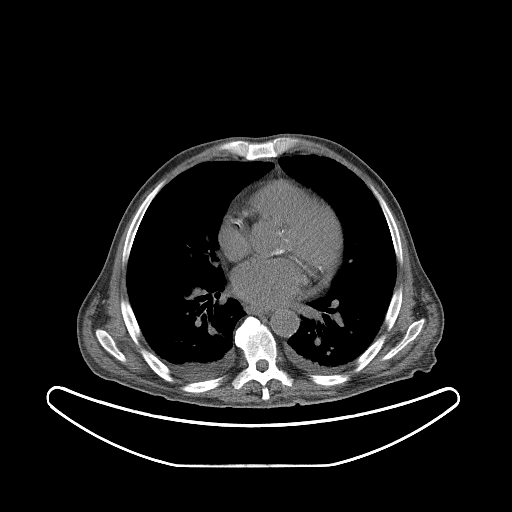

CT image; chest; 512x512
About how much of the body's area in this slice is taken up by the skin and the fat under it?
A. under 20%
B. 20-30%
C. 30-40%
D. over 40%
Answer: A. under 20%
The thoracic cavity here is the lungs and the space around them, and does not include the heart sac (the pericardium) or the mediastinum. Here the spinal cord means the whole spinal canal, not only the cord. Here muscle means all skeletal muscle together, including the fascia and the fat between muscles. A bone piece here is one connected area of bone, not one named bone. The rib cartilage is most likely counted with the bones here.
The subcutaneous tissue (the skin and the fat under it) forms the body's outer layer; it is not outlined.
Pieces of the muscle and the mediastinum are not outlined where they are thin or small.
Outlined structures:
spinal cord: 259 360; 265 360; 267 362; 267 367; 264 370; 259 370; 258 369; 257 369; 257 368; 256 367; 256 363
muscle 1: 159 180; 139 204; 125 235; 121 263; 126 265; 125 284; 128 298; 122 296; 119 305; 132 341; 138 347; 139 338; 142 336; 150 349; 145 347; 139 349; 145 362; 167 382; 175 381; 172 374; 187 382; 180 387; 182 391; 201 393; 220 386; 227 378; 226 374; 236 366; 241 355; 239 369; 230 383; 238 390; 251 380; 258 382; 264 401; 270 398; 267 386; 270 380; 275 379; 288 387; 294 382; 294 378; 283 365; 283 357; 294 368; 308 373; 313 383; 323 386; 347 382; 350 375; 343 372; 352 364; 354 373; 363 369; 376 356; 386 340; 387 336; 384 333; 378 336; 382 325; 388 332; 390 331; 402 305; 403 287; 401 285; 395 287; 395 283; 397 263; 402 265; 404 257; 400 233; 390 208; 400 222; 408 252; 422 286; 436 306; 438 314; 436 333; 417 360; 394 374; 363 380; 354 379; 334 394; 293 395; 272 401; 231 402; 216 397; 183 395; 139 383; 106 370; 86 349; 82 333; 83 318; 99 291; 123 231; 141 197, around holes outlined by 421 318; 424 318; 425 320; 424 321; 423 326; 420 332; 416 336; 416 337; 413 340; 410 341; 392 357; 391 357; 389 359; 382 360; 381 359; 382 357; 384 355; 385 355; 402 339; 410 324; 411 324; 414 321; 416 321 and by 98 328; 105 330; 112 337; 112 338; 115 342; 117 347; 125 356; 125 357; 126 358; 126 361; 125 362; 122 362; 118 359; 117 359; 114 356; 113 356; 110 353; 109 353; 100 344; 100 343; 96 336; 96 334; 95 333; 95 330
muscle 2: 297 138; 301 138; 320 143; 343 156; 348 161; 351 162; 364 172; 381 189; 387 201; 387 203; 383 196; 371 183; 369 183; 367 185; 355 173; 335 159; 325 155; 321 155; 313 152; 304 153; 300 151; 289 151; 298 143; 299 140
muscle 3: 218 144; 220 144; 217 146; 217 148; 220 151; 225 151; 233 156; 238 157; 228 156; 227 157; 219 157; 214 159; 204 160; 198 162; 187 169; 180 172; 167 183; 166 183; 167 182; 165 179; 161 179; 168 172; 184 160; 207 148
bones 1: 248 316; 257 318; 269 329; 283 359; 282 365; 293 378; 290 386; 282 384; 275 378; 270 379; 266 383; 269 393; 267 400; 262 398; 261 384; 254 379; 247 381; 238 389; 235 389; 231 383; 243 360; 242 350; 234 341; 234 331; inner edge: 259 360; 265 360; 267 362; 267 367; 264 370; 259 370; 258 369; 257 369; 257 368; 256 367; 256 363
bones 2: 284 136; 296 138; 298 141; 288 151; 286 151; 274 157; 264 157; 255 160; 246 160; 236 155; 233 155; 225 150; 220 150; 218 148; 218 146; 222 143; 233 140; 244 140; 248 142; 259 143; 260 142; 269 141; 277 137; 283 137
bones 3: 161 180; 165 180; 166 182; 152 199; 148 207; 146 209; 134 236; 132 245; 130 249; 129 256; 127 260; 127 263; 126 264; 123 264; 122 263; 123 247; 124 246; 126 235; 129 226; 131 223; 131 221; 140 204; 144 200; 146 196
bones 4: 369 184; 371 184; 382 196; 393 216; 393 218; 397 226; 401 242; 401 249; 403 257; 402 264; 400 264; 397 262; 394 250; 394 246; 392 241; 392 237; 387 221; 378 200; 368 186
bones 5: 122 297; 123 298; 128 299; 142 335; 138 338; 138 340; 139 341; 139 345; 138 346; 133 341; 131 336; 129 334; 128 330; 126 327; 125 322; 123 319; 123 316; 121 311; 121 306; 120 305; 120 302
bones 6: 421 318; 424 318; 425 320; 424 321; 423 326; 420 332; 416 336; 416 337; 413 340; 410 341; 392 357; 391 357; 389 359; 382 360; 381 359; 382 357; 384 355; 385 355; 402 339; 410 324; 411 324; 414 321; 416 321
bones 7: 141 348; 145 348; 149 351; 152 352; 166 366; 167 366; 167 367; 170 370; 171 375; 174 379; 174 381; 173 382; 170 382; 169 381; 165 380; 163 378; 159 376; 149 366; 149 365; 146 362; 146 361; 144 359; 140 352; 140 349
bones 8: 399 286; 401 286; 402 287; 402 299; 401 300; 401 305; 400 306; 397 317; 392 327; 390 330; 388 331; 386 326; 383 324; 383 322; 384 321; 384 319; 385 318; 385 316; 386 315; 386 313; 387 312; 387 310; 388 309; 394 289
bones 9: 382 334; 384 334; 386 336; 385 337; 385 340; 381 348; 378 351; 375 356; 363 368; 362 368; 357 372; 354 372; 354 368; 355 367; 355 364; 354 362; 356 360; 356 359; 367 349; 367 348; 376 339; 377 337
bones 10: 98 328; 105 330; 112 337; 112 338; 115 342; 117 347; 125 356; 125 357; 126 358; 126 361; 125 362; 122 362; 118 359; 117 359; 114 356; 113 356; 110 353; 109 353; 100 344; 100 343; 96 336; 96 334; 95 333; 95 330
bones 11: 223 375; 225 375; 226 376; 226 378; 220 385; 214 388; 212 388; 205 391; 202 391; 201 392; 188 392; 187 391; 184 391; 181 389; 181 387; 183 385; 187 383; 205 381; 206 380; 213 379; 214 378; 216 378
bones 12: 341 373; 346 373; 348 374; 349 375; 349 379; 347 381; 345 381; 342 383; 338 383; 333 385; 323 385; 322 384; 318 384; 313 382; 309 377; 309 375; 310 374; 317 374; 318 375; 333 375; 334 374; 340 374
pericardium: 278 174; 291 178; 300 185; 311 189; 332 207; 342 229; 343 249; 341 254; 341 261; 329 286; 315 297; 312 297; 297 304; 249 303; 242 301; 236 297; 228 287; 228 279; 220 262; 218 232; 223 217; 228 208; 242 191; 256 182
mediastinum 1: 224 272; 229 291; 242 302; 254 305; 297 305; 315 298; 324 292; 330 284; 330 288; 325 295; 310 301; 305 306; 297 330; 279 349; 270 329; 257 317; 248 315; 236 327; 238 320; 245 315; 245 312; 238 300; 228 295; 225 289
mediastinum 2: 286 152; 303 153; 284 155; 278 159; 279 166; 287 175; 291 177; 283 175; 280 173; 275 175; 274 174; 270 175; 268 177; 256 181; 241 191; 242 189; 263 176; 274 167; 274 164; 272 162; 261 161; 258 160; 259 159; 274 158
mediastinum 3: 237 194; 238 194; 235 197; 235 198; 231 202; 231 203; 229 205; 229 206; 228 207; 228 206; 229 205; 229 204; 231 202; 231 201; 233 199; 233 198
torso: 283 132; 316 135; 345 146; 391 190; 404 214; 419 261; 443 307; 444 328; 435 349; 435 364; 428 372; 416 371; 410 378; 347 398; 272 408; 209 407; 171 401; 93 373; 78 347; 76 317; 138 189; 168 159; 191 146; 229 136
thoracic cavity 1: 219 158; 270 162; 273 167; 232 198; 217 232; 217 264; 223 271; 224 289; 228 296; 237 300; 244 312; 233 331; 234 344; 241 354; 235 366; 225 374; 188 382; 172 373; 144 338; 128 296; 127 264; 141 221; 160 190; 194 165
thoracic cavity 2: 310 153; 335 160; 367 186; 377 200; 386 221; 396 260; 394 287; 377 336; 349 367; 333 374; 309 373; 298 369; 279 351; 298 330; 306 306; 329 292; 331 282; 343 260; 344 235; 335 210; 323 197; 287 174; 279 164; 281 157